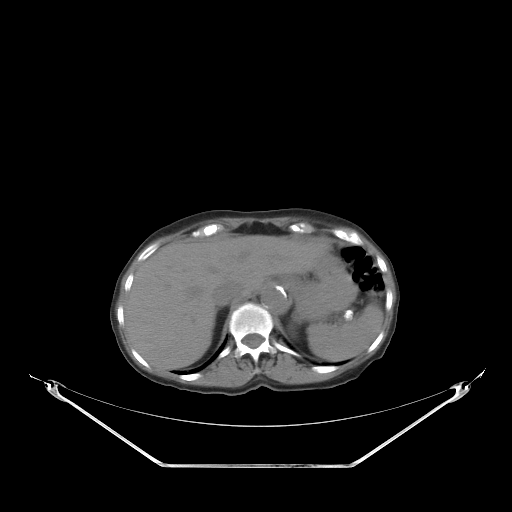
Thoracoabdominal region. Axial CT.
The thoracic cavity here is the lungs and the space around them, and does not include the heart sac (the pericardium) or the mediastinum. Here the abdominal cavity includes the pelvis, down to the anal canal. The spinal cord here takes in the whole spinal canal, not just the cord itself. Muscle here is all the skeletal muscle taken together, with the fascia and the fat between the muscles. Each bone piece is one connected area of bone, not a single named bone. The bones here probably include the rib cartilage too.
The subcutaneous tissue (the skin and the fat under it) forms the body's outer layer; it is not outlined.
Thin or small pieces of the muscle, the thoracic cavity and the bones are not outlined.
{"abdominal_cavity":[[[257,223],[301,234],[330,234],[362,247],[373,258],[385,287],[385,316],[367,348],[334,363],[303,357],[274,328],[291,295],[269,285],[237,304],[228,320],[231,335],[204,364],[171,371],[144,358],[128,337],[125,322],[128,293],[142,262],[172,242]]],"spinal_cord":[[[249,334],[258,334],[259,335],[260,335],[263,338],[263,341],[258,346],[257,346],[254,348],[252,348],[251,347],[248,346],[246,344],[243,343],[243,342],[242,341],[243,338],[245,336],[246,336]]],"bones":[{"outer":[[248,301],[265,307],[271,314],[273,328],[269,339],[285,344],[301,356],[295,356],[288,352],[277,350],[274,354],[262,352],[259,355],[257,363],[255,363],[247,353],[239,358],[235,357],[234,350],[236,345],[229,331],[229,320],[231,313],[239,305]],"hole":[[249,334],[258,334],[259,335],[260,335],[263,338],[263,341],[258,346],[257,346],[254,348],[252,348],[251,347],[248,346],[246,344],[243,343],[243,342],[242,341],[243,338],[245,336],[246,336]]},[[336,228],[341,228],[348,232],[350,231],[354,231],[356,232],[359,236],[359,237],[362,240],[363,242],[363,245],[362,246],[359,246],[358,245],[354,245],[347,241],[345,241],[337,237],[332,233],[332,229],[335,229]],[[212,223],[216,223],[217,224],[220,224],[222,226],[222,229],[221,230],[218,230],[215,233],[213,233],[210,235],[201,235],[200,236],[193,236],[191,234],[191,233],[194,230],[196,230],[198,228],[201,228],[206,225],[208,225],[209,224],[211,224]],[[155,242],[158,242],[159,243],[159,246],[158,247],[158,248],[153,253],[152,253],[148,257],[147,257],[145,259],[144,259],[141,261],[138,261],[137,258],[138,257],[139,254],[147,246],[148,246],[150,244],[151,244],[152,243],[154,243]],[[300,222],[303,222],[304,223],[305,223],[308,225],[310,225],[312,227],[312,231],[311,232],[305,232],[304,233],[301,233],[300,232],[296,232],[295,231],[292,231],[291,230],[290,230],[290,229],[289,228],[289,225],[290,225],[293,223],[299,223]],[[313,365],[338,365],[338,367],[335,370],[334,370],[333,371],[330,371],[329,372],[326,372],[325,373],[319,373],[318,372],[317,372],[316,371],[315,371],[314,370],[313,370],[311,368],[312,367],[312,366]],[[381,330],[382,330],[384,332],[384,335],[383,336],[382,339],[380,341],[380,342],[377,345],[377,346],[373,350],[372,350],[370,352],[368,352],[367,351],[367,349],[368,348],[368,347],[376,338],[376,337],[378,335],[378,334],[380,332],[380,331]],[[196,372],[199,372],[201,374],[201,375],[198,378],[197,378],[196,379],[194,379],[193,380],[185,380],[184,379],[181,379],[178,376],[178,375],[179,374],[187,374],[188,373],[195,373]],[[132,348],[134,348],[137,351],[137,352],[150,365],[150,367],[149,368],[147,368],[145,366],[144,366],[141,363],[140,363],[134,357],[134,356],[133,355],[133,354],[132,353],[132,352],[131,351],[131,349]],[[386,289],[389,289],[391,291],[391,292],[392,293],[392,305],[391,306],[391,308],[389,310],[388,310],[387,311],[386,310],[386,308],[385,307],[385,301],[386,300]],[[119,305],[122,305],[122,306],[123,307],[123,314],[124,315],[124,323],[123,324],[123,325],[122,326],[121,326],[118,323],[118,321],[117,320],[117,308],[118,307],[118,306]],[[378,255],[379,256],[380,256],[384,260],[384,261],[385,262],[385,264],[386,265],[386,267],[387,268],[387,270],[385,272],[382,272],[381,271],[380,271],[380,270],[379,269],[378,266],[376,264],[376,262],[375,261],[375,260],[376,259],[376,257]],[[227,345],[229,345],[230,346],[230,347],[231,348],[230,349],[230,351],[229,352],[229,353],[228,354],[227,354],[225,356],[224,356],[223,357],[221,357],[220,358],[216,358],[217,357],[217,356],[219,354],[219,353]]],"mediastinum":[[[269,286],[278,286],[286,290],[290,295],[290,301],[289,302],[289,304],[281,313],[280,313],[276,316],[274,322],[273,316],[269,311],[269,310],[265,306],[259,303],[257,303],[256,302],[248,300],[238,305],[238,304],[240,302],[241,302],[247,297]]],"torso":[[[290,207],[317,209],[355,222],[390,258],[400,287],[400,302],[395,331],[383,356],[357,378],[346,383],[326,389],[290,392],[262,386],[239,395],[203,394],[161,385],[139,374],[120,352],[109,320],[109,304],[116,279],[139,244],[156,229],[200,211]]],"thoracic_cavity":[[[228,338],[226,345],[218,353],[216,357],[200,370],[198,371],[196,371],[195,372],[188,372],[187,373],[179,373],[178,374],[173,372],[174,371],[186,371],[187,370],[192,370],[193,369],[196,369],[204,365],[211,359],[211,358],[216,353],[216,352]]],"muscle":[[[281,216],[302,216],[350,227],[364,236],[385,258],[394,282],[396,301],[388,333],[376,352],[357,366],[332,378],[303,384],[284,384],[262,375],[234,388],[201,386],[170,380],[142,369],[127,352],[118,331],[117,321],[121,327],[125,323],[127,337],[133,346],[130,351],[140,364],[149,369],[151,367],[149,362],[161,370],[176,374],[185,381],[198,379],[202,375],[199,371],[213,360],[228,355],[232,348],[227,344],[230,336],[234,341],[233,352],[236,359],[247,354],[257,364],[262,353],[274,355],[280,351],[295,357],[302,356],[313,364],[310,368],[319,374],[333,372],[339,365],[366,350],[370,353],[378,346],[385,335],[382,327],[386,311],[389,311],[393,305],[393,293],[386,288],[382,274],[388,268],[380,255],[374,259],[363,247],[363,240],[354,230],[348,231],[336,227],[331,229],[332,234],[306,233],[311,233],[313,227],[303,221],[289,224],[289,230],[257,222],[211,235],[223,229],[220,223],[212,222],[190,233],[193,237],[199,237],[172,241],[159,248],[158,241],[150,243],[205,219]],[[137,256],[136,258],[137,261],[141,262],[141,263],[135,273],[134,274],[132,272],[129,273],[125,279],[124,290],[127,293],[127,297],[125,301],[124,314],[124,307],[122,304],[119,304],[116,308],[116,320],[115,304],[119,295],[121,281],[124,274]],[[273,329],[274,329],[294,349],[293,349],[291,347],[288,346],[285,343],[281,343],[280,342],[279,342],[278,341],[277,341],[274,339],[271,340],[270,339],[270,337],[271,336],[271,333],[272,332]]]}